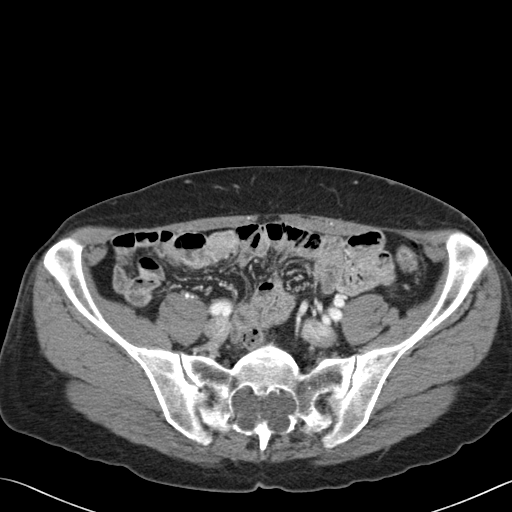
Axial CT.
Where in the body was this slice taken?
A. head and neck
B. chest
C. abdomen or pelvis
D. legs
C. abdomen or pelvis
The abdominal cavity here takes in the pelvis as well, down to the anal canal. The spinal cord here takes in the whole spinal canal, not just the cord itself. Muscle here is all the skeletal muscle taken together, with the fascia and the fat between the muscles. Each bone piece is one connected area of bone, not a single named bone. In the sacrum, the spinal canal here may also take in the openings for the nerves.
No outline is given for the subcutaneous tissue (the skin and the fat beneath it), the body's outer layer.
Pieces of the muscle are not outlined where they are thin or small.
The muscle appears in 2 outlined pieces: piece 1: (485, 249) (501, 280) (497, 332) (487, 355) (457, 382) (461, 389) (449, 410) (387, 448) (333, 465) (313, 466) (308, 458) (226, 458) (219, 468) (203, 467) (113, 433) (70, 406) (63, 391) (68, 378) (40, 352) (32, 314) (34, 270) (44, 253) (46, 271) (74, 307) (137, 362) (165, 420) (185, 437) (207, 446) (214, 432) (233, 430) (255, 435) (262, 453) (273, 434) (298, 429) (321, 433) (328, 449) (368, 423) (398, 360) (464, 301) (489, 264); piece 2: (254, 213) (306, 213) (403, 229) (458, 229) (445, 239) (447, 269) (444, 282) (425, 318) (399, 342) (363, 352) (359, 350) (360, 345) (351, 345) (342, 332) (344, 310) (350, 301) (364, 294) (379, 294) (402, 317) (414, 304) (426, 300) (434, 289) (442, 265) (430, 258) (424, 246) (415, 239) (381, 229) (328, 233) (279, 217) (259, 217) (236, 226) (206, 230) (158, 228) (114, 233) (105, 242) (103, 257) (90, 268) (103, 297) (120, 302) (151, 321) (157, 318) (161, 302) (172, 292) (187, 300) (199, 298) (206, 305) (205, 323) (199, 337) (187, 345) (174, 341) (172, 348) (178, 351) (174, 351) (136, 345) (120, 334) (106, 320) (88, 288) (83, 270) (84, 245) (72, 235) (59, 238) (85, 225) (150, 228) (197, 218). The abdominal cavity is outlined by (259, 218) (336, 235) (395, 233) (419, 242) (441, 271) (430, 295) (402, 316) (379, 293) (350, 300) (341, 332) (359, 353) (304, 371) (269, 341) (227, 367) (212, 354) (173, 348) (200, 337) (207, 305) (199, 297) (169, 292) (151, 320) (103, 296) (91, 268) (114, 234). The bones are outlined by (455, 230) (482, 246) (487, 266) (397, 360) (367, 423) (328, 448) (298, 428) (273, 433) (262, 452) (255, 434) (233, 429) (207, 445) (188, 438) (138, 362) (43, 265) (59, 239) (82, 244) (96, 306) (136, 346) (230, 368) (272, 342) (308, 372) (414, 332) (441, 293); inner edge: (257, 398) (258, 399) (267, 399) (268, 398) (272, 398) (275, 402) (275, 403) (278, 406) (274, 414) (274, 419) (273, 420) (273, 422) (271, 423) (265, 423) (264, 422) (255, 422) (253, 418) (254, 417) (254, 411) (255, 410) (255, 406) (256, 405) (256, 400). The spinal cord is outlined by (257, 398) (258, 399) (267, 399) (268, 398) (272, 398) (275, 402) (275, 403) (278, 406) (274, 414) (274, 419) (273, 420) (273, 422) (271, 423) (265, 423) (264, 422) (255, 422) (253, 418) (254, 417) (254, 411) (255, 410) (255, 406) (256, 405) (256, 400). The torso is outlined by (300, 164) (343, 167) (402, 182) (454, 206) (480, 228) (511, 273) (510, 414) (442, 460) (375, 481) (309, 492) (260, 487) (250, 492) (216, 492) (153, 482) (122, 466) (90, 460) (14, 431) (3, 422) (0, 348) (21, 277) (32, 254) (67, 217) (112, 196) (188, 172).